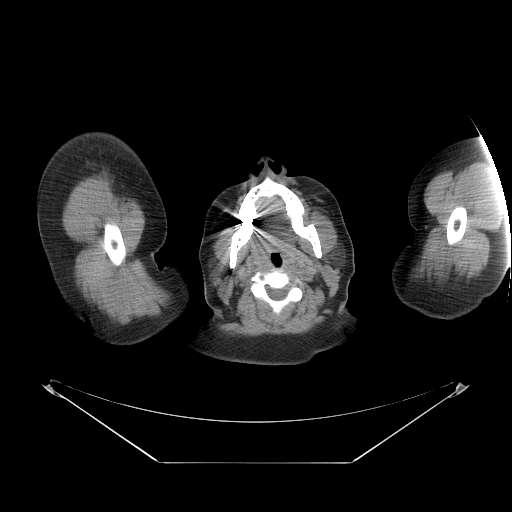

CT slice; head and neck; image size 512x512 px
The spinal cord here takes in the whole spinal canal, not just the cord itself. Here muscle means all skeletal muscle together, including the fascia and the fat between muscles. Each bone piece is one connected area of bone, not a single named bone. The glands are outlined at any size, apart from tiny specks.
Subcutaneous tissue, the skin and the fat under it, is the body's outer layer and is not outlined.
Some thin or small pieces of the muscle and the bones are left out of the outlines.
{"bones":[[[266,176],[298,196],[304,209],[303,224],[314,224],[322,255],[316,257],[311,243],[294,231],[283,201],[275,195],[271,199],[262,197],[257,202],[253,221],[255,228],[237,252],[235,267],[230,268],[228,248],[232,234],[241,223],[240,204],[249,189]],{"outer":[[274,266],[281,267],[292,281],[295,278],[298,278],[301,281],[301,283],[298,286],[302,291],[302,297],[300,300],[288,303],[278,314],[273,312],[267,302],[261,299],[257,299],[253,295],[250,289],[253,282],[251,278],[256,272],[263,273],[268,272]],"hole":[[267,287],[269,287],[270,288],[272,288],[273,289],[282,289],[283,288],[285,288],[286,289],[286,295],[283,298],[282,298],[281,299],[273,299],[272,298],[271,298],[269,296],[269,295],[268,294],[268,292],[267,291]]},[[107,222],[113,222],[118,226],[120,230],[122,238],[123,239],[123,242],[124,243],[125,248],[126,249],[126,256],[125,257],[125,260],[119,266],[116,266],[112,263],[107,253],[104,250],[103,246],[102,245],[103,244],[104,225],[105,223]],[[456,206],[463,206],[465,207],[466,211],[467,212],[467,218],[468,219],[467,220],[467,223],[466,224],[466,228],[465,229],[465,231],[463,234],[462,238],[458,242],[452,245],[449,245],[447,243],[447,239],[446,238],[446,223],[452,210]]],"right_arm":[[[91,129],[106,130],[120,136],[146,165],[160,193],[167,217],[167,235],[154,258],[159,268],[171,264],[191,282],[190,298],[181,316],[159,334],[132,345],[112,345],[99,340],[87,325],[66,309],[54,285],[38,231],[37,189],[48,159],[66,139]]],"head_and_neck":[{"outer":[[262,155],[283,163],[288,175],[310,176],[332,192],[354,249],[355,271],[346,306],[360,317],[361,331],[350,343],[321,351],[297,365],[225,361],[182,345],[212,314],[198,258],[206,211],[223,189],[246,180],[248,171],[258,173],[263,166],[256,161]],"holes":[[[274,253],[275,254],[278,254],[279,255],[279,257],[280,258],[280,259],[281,260],[281,262],[280,263],[280,264],[279,265],[276,265],[274,263],[274,262],[273,261],[272,261],[272,257],[271,256],[272,255],[272,254],[273,254]],[[270,162],[277,162],[279,164],[279,165],[280,166],[280,168],[279,169],[279,170],[278,171],[275,171],[274,170],[273,170],[271,168],[271,167],[270,166],[270,165],[269,164],[269,163]]]}],"muscle":[{"outer":[[269,176],[317,193],[335,216],[339,239],[322,257],[343,271],[334,312],[303,334],[230,336],[216,327],[221,320],[214,290],[233,275],[238,252],[256,228],[262,198],[279,197],[293,231],[310,243],[316,258],[323,255],[315,224],[304,224],[299,196]],"hole":[[274,253],[278,254],[281,260],[280,264],[276,266],[281,267],[292,281],[298,278],[301,281],[298,286],[302,291],[300,300],[288,303],[278,314],[273,312],[267,302],[257,299],[250,289],[253,282],[251,278],[256,272],[268,272],[276,265],[271,256]]},{"outer":[[96,166],[108,167],[143,205],[146,223],[142,234],[142,255],[148,272],[173,293],[174,300],[173,308],[156,319],[131,325],[114,323],[102,318],[90,308],[76,287],[73,273],[75,262],[70,244],[64,235],[61,210],[63,202],[75,181],[82,174]],"hole":[[107,222],[113,222],[118,226],[120,230],[122,238],[123,239],[123,242],[124,243],[125,248],[126,249],[126,256],[125,257],[125,260],[119,266],[116,266],[112,263],[107,253],[104,250],[103,246],[102,245],[103,244],[104,225],[105,223]]},{"outer":[[470,162],[480,162],[494,166],[505,198],[503,215],[489,247],[486,267],[479,277],[465,285],[456,287],[443,288],[411,280],[407,276],[407,273],[415,263],[426,237],[425,221],[423,215],[424,188],[430,179],[439,172],[445,169],[462,166]],"hole":[[456,206],[463,206],[465,207],[466,211],[467,212],[467,218],[468,219],[467,220],[467,223],[466,224],[466,228],[465,229],[465,231],[463,234],[462,238],[458,242],[452,245],[449,245],[447,243],[447,239],[446,238],[446,223],[452,210]]},[[262,178],[263,178],[262,180],[252,185],[248,189],[239,204],[237,211],[238,219],[240,223],[238,227],[231,234],[227,248],[229,268],[216,259],[210,249],[212,227],[215,217],[222,204],[226,202],[230,194],[234,190],[240,186],[241,188],[252,181]]],"left_arm":[[[479,135],[484,140],[494,162],[505,198],[508,229],[511,233],[511,266],[506,270],[495,292],[471,312],[452,320],[428,318],[407,307],[398,299],[390,278],[394,260],[414,239],[415,231],[407,214],[408,191],[417,173],[436,153],[455,141]]],"spinal_cord":[[[267,287],[269,287],[270,288],[272,288],[273,289],[282,289],[283,288],[285,288],[286,289],[286,295],[283,298],[282,298],[281,299],[273,299],[272,298],[271,298],[269,296],[269,295],[268,294],[268,292],[267,291]]],"parotid_glands":[[[210,255],[212,255],[216,260],[219,261],[227,268],[230,269],[231,271],[231,274],[232,275],[230,277],[224,279],[217,286],[216,289],[213,289],[212,288],[212,286],[210,284],[210,282],[209,281],[209,277],[208,276],[208,260],[209,259],[209,257]],[[338,239],[342,243],[343,245],[343,247],[345,248],[345,252],[346,253],[346,263],[341,273],[340,273],[334,266],[330,264],[328,264],[327,263],[325,263],[323,262],[323,257],[328,252],[329,252],[336,246],[337,244],[337,240]]]}